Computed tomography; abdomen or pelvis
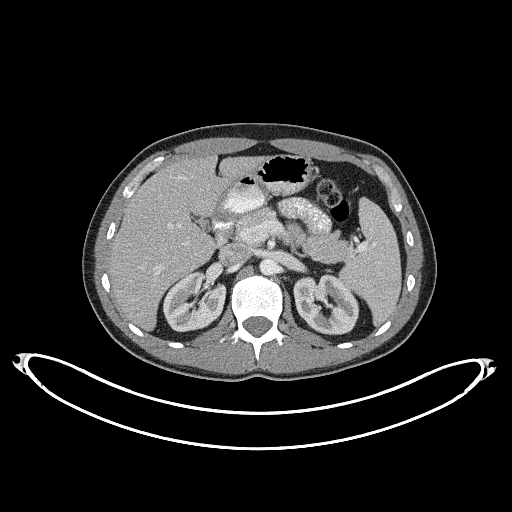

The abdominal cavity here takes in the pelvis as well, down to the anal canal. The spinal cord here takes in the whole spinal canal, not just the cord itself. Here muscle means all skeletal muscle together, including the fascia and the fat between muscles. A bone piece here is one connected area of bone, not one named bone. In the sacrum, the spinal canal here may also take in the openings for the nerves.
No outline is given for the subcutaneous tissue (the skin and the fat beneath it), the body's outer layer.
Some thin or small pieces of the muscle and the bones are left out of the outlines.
The abdominal cavity is outlined by 334,343 373,331 393,313 404,285 400,224 386,189 369,173 349,162 257,144 171,162 149,175 130,198 112,243 108,275 122,312 142,331 182,342 195,337 219,321 230,304 233,284 255,273 288,292 299,326. The torso is outlined by 216,381 240,381 252,377 288,381 336,373 393,351 414,331 435,288 435,247 415,193 398,165 382,149 355,137 295,124 214,124 152,142 108,185 91,217 82,249 82,279 95,315 112,339 139,359 168,371. The bones appear in 6 outlined pieces: piece 1: 257,360 259,358 260,347 264,342 275,339 280,345 285,335 277,327 278,318 283,307 281,289 271,279 255,274 243,278 234,284 230,301 237,320 237,328 231,336 232,342 235,343 240,338 250,342 253,345, around a hole outlined by 254,336 259,336 260,335 261,335 263,333 264,333 270,327 270,325 271,324 271,323 266,318 265,318 264,317 262,317 261,316 256,316 255,317 250,317 249,318 248,318 245,321 244,321 244,327; piece 2: 125,198 129,198 132,195 141,180 150,171 153,170 164,160 164,156 158,156 154,158 152,160 148,162 139,170 139,171 132,178 132,179 125,186 125,187 123,189 122,195 123,197; piece 3: 396,212 399,212 401,211 402,209 402,204 399,195 397,192 397,190 393,185 391,179 387,172 386,172 381,166 377,164 374,164 372,165 372,167 378,176 379,179 389,190 388,191 388,194 390,199 390,203; piece 4: 107,239 110,239 113,236 113,234 114,233 114,232 116,229 116,226 117,225 116,224 116,223 114,221 112,221 110,223 110,224 109,225 109,227 107,230 107,232 106,233 106,238; piece 5: 376,336 377,335 379,335 380,334 381,334 383,332 384,332 389,327 389,326 390,325 390,324 391,323 391,322 390,321 390,320 388,320 387,321 386,321 376,331 376,332 374,334; piece 6: 139,336 143,336 143,332 142,332 141,331 141,330 140,330 136,326 135,326 133,324 132,324 130,322 128,324 128,326 129,327 129,328 134,333 135,333 136,334 137,334. The muscle is outlined by 226,374 240,374 257,369 265,370 272,373 292,373 293,372 298,372 299,371 307,370 315,367 324,367 325,366 331,366 332,365 339,364 345,361 350,360 355,357 360,356 379,346 393,336 409,319 416,306 418,300 418,296 420,292 420,288 421,287 422,265 423,264 423,248 422,247 422,242 421,241 420,233 416,223 416,220 414,217 404,190 392,170 381,159 371,154 358,153 325,142 315,141 314,140 308,140 307,139 277,138 270,140 263,140 262,139 251,139 244,137 210,137 209,138 203,138 202,139 198,139 197,140 186,142 168,149 158,151 150,155 140,162 127,175 120,184 115,194 113,196 113,198 111,200 111,202 101,221 94,246 94,281 95,282 95,286 97,293 106,314 113,323 118,327 127,337 147,352 157,358 174,364 194,366 198,368 205,369 208,371 213,371 214,372 219,372 with holes at 257,360 264,342 275,339 282,344 285,335 277,322 284,290 290,296 297,324 336,343 338,348 350,347 352,340 378,326 376,336 389,327 387,319 404,285 405,251 399,221 387,199 389,195 396,212 401,211 402,204 381,166 372,167 383,186 352,163 324,161 257,144 233,153 184,157 153,172 138,188 141,180 164,160 164,156 158,156 123,189 123,197 130,199 119,225 112,221 107,230 107,239 117,232 109,271 103,273 101,283 107,292 112,289 130,322 129,328 139,336 147,332 181,348 183,341 216,325 230,304 237,320 232,342 240,338 250,342 and at 408,291 410,291 413,288 413,287 414,286 414,284 415,283 415,279 414,278 414,276 412,274 409,274 407,276 407,290 and at 410,246 412,246 414,244 414,240 413,239 413,236 412,235 412,234 411,233 411,232 409,230 408,230 406,232 406,233 405,234 405,238 406,239 406,241 407,242 407,243. The spinal cord is outlined by 254,336 259,336 260,335 261,335 263,333 264,333 270,327 270,325 271,324 271,323 266,318 265,318 264,317 262,317 261,316 256,316 255,317 250,317 249,318 248,318 245,321 244,321 244,327.